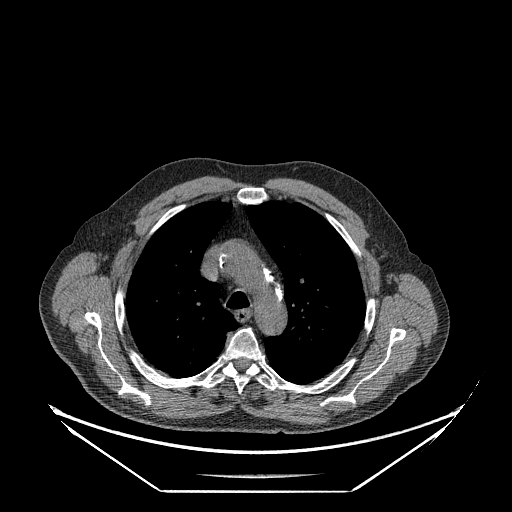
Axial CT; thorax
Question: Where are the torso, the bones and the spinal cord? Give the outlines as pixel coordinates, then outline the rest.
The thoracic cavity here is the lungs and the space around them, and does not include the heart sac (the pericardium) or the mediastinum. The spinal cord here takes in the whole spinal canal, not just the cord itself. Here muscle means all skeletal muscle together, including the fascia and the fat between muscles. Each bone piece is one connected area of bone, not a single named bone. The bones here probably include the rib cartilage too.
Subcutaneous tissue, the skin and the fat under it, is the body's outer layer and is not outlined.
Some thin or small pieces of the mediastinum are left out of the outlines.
Answer: {"torso":[[[189,157],[240,164],[309,160],[340,170],[364,184],[397,223],[409,249],[433,269],[448,306],[447,341],[426,376],[369,419],[306,434],[166,429],[117,415],[88,394],[46,335],[38,310],[42,281],[59,252],[87,219],[107,208],[153,169]]],"bones":[{"outer":[[248,326],[268,364],[296,384],[318,382],[355,356],[357,360],[349,372],[320,393],[269,390],[252,377],[239,394],[234,380],[228,376],[210,388],[164,388],[142,375],[128,356],[130,347],[162,374],[188,377],[212,364],[224,350],[227,339],[238,328]],"hole":[[241,357],[243,357],[244,358],[246,358],[247,359],[248,359],[250,361],[250,363],[249,364],[249,365],[248,366],[248,367],[244,371],[239,371],[235,367],[235,360],[236,360],[237,359],[238,359],[239,358],[240,358]]},[[87,311],[94,311],[99,314],[102,324],[101,345],[110,362],[129,384],[146,392],[150,396],[150,405],[147,406],[142,403],[142,399],[136,394],[123,393],[119,395],[117,393],[122,384],[121,380],[109,367],[100,353],[97,346],[97,329],[84,317]],[[393,327],[404,329],[406,332],[405,336],[403,339],[396,340],[393,343],[388,360],[382,367],[358,386],[354,392],[356,402],[353,404],[348,401],[331,401],[324,406],[320,406],[319,403],[329,396],[347,394],[360,379],[378,366],[386,355],[390,330]],[[246,186],[259,186],[260,187],[262,187],[269,195],[270,198],[258,204],[244,204],[238,201],[236,199],[234,199],[233,198],[236,194],[237,191],[240,188],[242,188]],[[120,284],[122,289],[125,292],[125,296],[123,301],[124,302],[124,310],[125,311],[125,321],[127,324],[127,328],[126,327],[124,329],[124,336],[123,337],[122,337],[119,333],[117,327],[117,324],[116,323],[116,319],[115,318],[115,292],[117,287]],[[324,212],[327,212],[331,214],[343,225],[343,226],[345,228],[353,241],[357,245],[358,248],[360,250],[361,252],[361,257],[360,258],[358,258],[354,255],[346,242],[342,238],[342,237],[338,233],[338,232],[325,218],[325,217],[323,215],[323,213]],[[183,203],[187,204],[188,206],[172,216],[163,224],[162,224],[145,242],[143,247],[140,251],[140,249],[145,241],[145,239],[148,232],[156,223],[156,222],[160,218],[160,217],[168,209],[169,209],[171,207],[175,205],[178,205],[179,204],[182,204]],[[369,297],[373,297],[375,299],[375,318],[374,319],[374,321],[373,322],[373,325],[371,328],[371,330],[370,331],[369,334],[368,335],[365,335],[365,331],[363,329],[363,325],[364,324],[364,320],[365,319],[365,314],[366,313],[366,300]]],"spinal_cord":[[[241,357],[243,357],[244,358],[246,358],[247,359],[248,359],[250,361],[250,363],[249,364],[249,365],[248,366],[248,367],[244,371],[239,371],[235,367],[235,360],[236,360],[237,359],[238,359],[239,358],[240,358]]],"mediastinum":[[[228,198],[245,205],[245,212],[251,227],[283,277],[287,323],[279,335],[266,336],[262,346],[253,328],[250,325],[238,327],[239,324],[233,315],[222,306],[219,300],[218,284],[205,279],[200,273],[205,250],[231,213],[233,204],[230,200],[224,199]]],"thoracic_cavity":[[[271,198],[299,202],[324,217],[355,257],[365,295],[362,329],[347,359],[327,375],[312,383],[301,384],[284,378],[269,364],[261,347],[264,345],[266,337],[279,336],[284,331],[288,323],[288,310],[284,298],[283,274],[252,227],[245,207],[261,204]],[[218,198],[230,201],[232,206],[203,252],[199,273],[205,280],[217,284],[219,303],[238,326],[229,332],[232,334],[226,339],[223,350],[204,369],[188,376],[170,376],[149,364],[135,349],[126,321],[124,300],[128,280],[146,242],[162,225],[190,206]]],"muscle":[{"outer":[[204,175],[250,184],[260,184],[272,177],[302,179],[323,188],[352,209],[370,234],[365,247],[380,266],[380,293],[392,295],[396,291],[394,276],[411,273],[423,281],[431,294],[438,326],[420,357],[378,397],[321,424],[258,417],[238,406],[209,416],[167,418],[148,413],[114,395],[53,315],[51,298],[56,282],[67,263],[83,251],[99,255],[98,272],[108,275],[116,252],[134,234],[131,221],[136,212],[168,188]],"holes":[[[246,186],[262,187],[271,198],[299,202],[322,216],[324,212],[331,214],[361,252],[355,259],[365,299],[375,299],[375,318],[369,334],[361,330],[347,357],[357,358],[352,368],[326,391],[269,390],[252,377],[239,394],[228,376],[210,388],[164,388],[149,381],[130,360],[127,349],[135,347],[129,330],[124,329],[123,337],[119,333],[116,289],[120,284],[126,291],[140,249],[160,217],[175,205],[189,207],[233,198]],[[87,311],[94,311],[99,314],[102,324],[101,345],[110,362],[129,384],[146,392],[150,396],[150,405],[147,406],[142,403],[142,399],[136,394],[123,393],[119,395],[117,393],[122,384],[121,380],[109,367],[100,353],[97,346],[97,329],[84,317]],[[393,327],[404,329],[406,332],[405,336],[403,339],[396,340],[393,343],[388,360],[382,367],[358,386],[354,392],[356,402],[353,404],[348,401],[331,401],[324,406],[320,406],[319,403],[329,396],[347,394],[360,379],[378,366],[386,355],[390,330]]]}]}